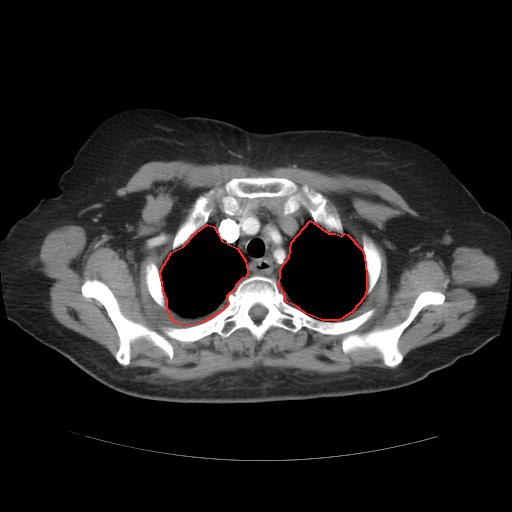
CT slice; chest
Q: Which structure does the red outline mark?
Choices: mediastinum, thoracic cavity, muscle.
A: red: thoracic cavity.
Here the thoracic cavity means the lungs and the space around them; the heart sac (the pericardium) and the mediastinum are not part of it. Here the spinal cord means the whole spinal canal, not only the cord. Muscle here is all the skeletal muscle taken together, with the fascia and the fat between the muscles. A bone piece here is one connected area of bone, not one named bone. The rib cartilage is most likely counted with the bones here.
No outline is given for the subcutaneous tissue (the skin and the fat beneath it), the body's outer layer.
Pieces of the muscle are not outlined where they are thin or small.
{"thoracic_cavity":[[[310,220],[328,233],[335,233],[341,236],[344,233],[347,234],[361,249],[364,256],[366,274],[366,288],[364,297],[352,311],[339,320],[322,320],[305,313],[298,307],[287,302],[285,300],[285,294],[279,287],[280,271],[283,264],[289,257],[291,242]],[[207,224],[213,226],[221,240],[237,248],[245,260],[247,272],[245,277],[242,278],[235,285],[234,289],[226,296],[227,304],[222,310],[202,322],[185,326],[176,323],[171,318],[167,309],[167,300],[163,290],[160,271],[171,252],[183,246],[196,232]]],"torso":[[[137,107],[215,118],[261,133],[340,129],[402,136],[431,148],[481,206],[503,219],[509,228],[511,273],[499,334],[474,353],[412,384],[340,397],[256,403],[168,402],[127,395],[94,379],[8,319],[0,240],[42,198],[60,193],[61,174],[102,120]]],"muscle":[[[155,160],[256,169],[295,164],[378,179],[418,213],[386,223],[383,244],[395,279],[402,268],[425,257],[446,258],[459,246],[492,256],[499,278],[478,290],[478,311],[465,327],[404,356],[398,346],[404,330],[424,307],[441,305],[446,296],[423,290],[401,322],[353,332],[376,311],[343,319],[378,281],[382,257],[375,242],[364,233],[360,248],[328,208],[329,200],[307,184],[300,187],[281,176],[232,177],[194,200],[161,269],[152,260],[144,268],[151,298],[184,326],[164,325],[162,334],[126,317],[101,280],[81,284],[82,296],[98,301],[116,330],[114,357],[53,316],[40,247],[50,231],[69,224],[131,247],[142,202],[134,193],[115,192]],[[271,327],[292,333],[306,328],[324,335],[347,334],[340,342],[345,354],[374,348],[389,367],[358,366],[322,374],[258,366],[175,378],[128,366],[131,344],[138,339],[171,360],[174,347],[168,338],[191,343],[213,333],[227,338],[244,328],[259,342]]],"spinal_cord":[[[255,304],[260,304],[262,306],[263,306],[264,307],[265,307],[267,309],[267,312],[266,313],[266,314],[265,315],[265,316],[259,322],[256,322],[250,316],[250,315],[249,314],[249,311],[250,310],[250,309]]],"mediastinum":[[[238,198],[275,198],[284,201],[285,214],[303,208],[311,218],[290,242],[288,257],[279,271],[279,285],[274,278],[265,275],[246,276],[247,264],[242,253],[236,246],[221,239],[214,226],[208,223],[210,216],[218,208],[226,214],[235,214],[239,208]]],"bones":[{"outer":[[254,275],[274,279],[287,303],[318,320],[347,320],[375,308],[356,334],[401,323],[423,291],[439,291],[445,299],[424,306],[403,330],[397,342],[403,358],[393,367],[374,347],[345,353],[341,342],[347,333],[278,326],[259,341],[244,327],[191,342],[168,337],[171,359],[138,338],[123,366],[115,358],[120,342],[106,309],[81,292],[87,279],[104,283],[126,318],[164,335],[164,326],[194,326],[215,316],[236,285]],"hole":[[255,304],[260,304],[262,306],[263,306],[264,307],[265,307],[267,309],[267,312],[266,313],[266,314],[265,315],[265,316],[259,322],[256,322],[250,316],[250,315],[249,314],[249,311],[250,310],[250,309]]},[[260,176],[286,178],[300,188],[307,185],[322,194],[328,200],[327,208],[338,214],[343,234],[328,232],[302,206],[285,213],[285,197],[238,197],[235,213],[222,211],[216,201],[207,223],[183,245],[171,249],[177,230],[200,195],[222,187],[232,178]],[[364,234],[369,237],[374,242],[374,243],[379,250],[380,256],[381,257],[381,269],[380,270],[379,276],[372,290],[368,294],[366,294],[366,289],[367,288],[367,274],[366,273],[366,267],[365,266],[365,256],[362,250],[362,247],[363,246],[363,235]],[[151,261],[155,263],[159,271],[160,280],[161,281],[161,284],[162,285],[162,290],[163,291],[163,294],[166,300],[166,308],[164,308],[160,306],[152,298],[147,288],[146,280],[145,279],[145,275],[146,274],[145,268],[146,267],[146,265]]]}